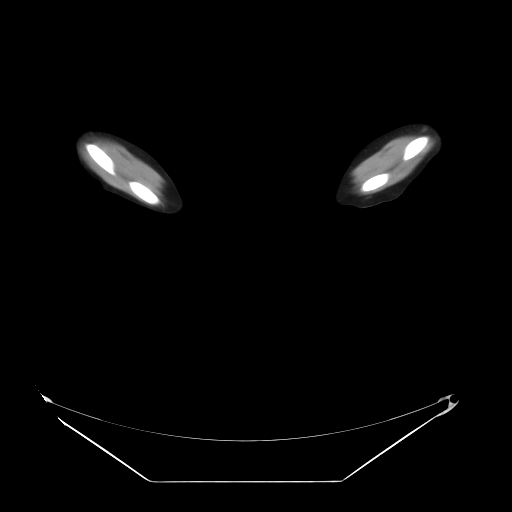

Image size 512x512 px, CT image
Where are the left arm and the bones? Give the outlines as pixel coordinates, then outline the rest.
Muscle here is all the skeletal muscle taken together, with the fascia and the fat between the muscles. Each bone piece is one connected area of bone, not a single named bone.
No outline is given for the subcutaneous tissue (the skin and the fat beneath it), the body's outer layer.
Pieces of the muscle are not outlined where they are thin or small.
The left arm is outlined by [[415,121],[428,122],[436,126],[443,136],[444,143],[441,151],[431,160],[425,169],[409,185],[405,191],[399,197],[392,201],[366,208],[354,208],[345,205],[338,205],[334,203],[332,200],[333,191],[339,177],[353,156],[367,143],[381,134],[402,124]]. The bones appear in 4 outlined pieces: piece 1: [[87,142],[90,142],[91,143],[94,143],[96,144],[99,147],[104,150],[104,151],[112,159],[114,163],[114,171],[115,172],[115,174],[114,175],[109,173],[106,170],[101,167],[95,161],[94,161],[94,160],[89,155],[84,146],[85,143]]; piece 2: [[129,181],[138,181],[142,184],[143,184],[147,187],[148,187],[159,198],[159,203],[156,205],[153,205],[152,204],[149,204],[148,203],[143,201],[141,199],[138,198],[132,192],[132,191],[130,189],[130,188],[128,185],[128,182]]; piece 3: [[421,135],[428,135],[430,137],[430,139],[429,140],[428,143],[426,145],[426,146],[421,151],[420,151],[413,157],[412,157],[407,160],[404,160],[403,159],[403,152],[404,151],[404,148],[405,147],[405,146],[410,141],[411,141],[413,139],[414,139]]; piece 4: [[384,172],[388,172],[390,174],[390,176],[388,180],[383,185],[378,187],[374,190],[371,190],[367,192],[362,192],[360,190],[361,185],[364,181],[365,181],[368,178],[374,175],[376,175],[380,173],[383,173]]. The right arm is outlined by [[87,127],[101,127],[111,130],[129,139],[150,153],[164,168],[177,186],[185,204],[185,207],[183,211],[177,215],[165,215],[164,214],[152,212],[113,193],[104,190],[95,179],[86,173],[78,165],[74,158],[74,154],[72,150],[72,139],[76,132]]. The muscle appears in 2 outlined pieces: piece 1: [[87,137],[101,137],[114,140],[124,146],[135,156],[150,165],[159,173],[166,182],[166,203],[164,205],[157,205],[160,203],[160,198],[148,186],[138,180],[129,180],[127,182],[129,189],[136,197],[107,183],[85,163],[78,151],[78,144],[82,139]]; inner edge: [[87,142],[90,142],[91,143],[94,143],[96,144],[99,147],[104,150],[104,151],[112,159],[114,163],[114,171],[115,172],[115,174],[114,175],[109,173],[106,170],[101,167],[95,161],[94,161],[94,160],[89,155],[84,146],[85,143]]; piece 2: [[423,132],[430,132],[431,133],[433,133],[437,138],[437,141],[436,142],[436,144],[433,147],[433,148],[423,158],[423,159],[417,165],[417,166],[411,173],[410,173],[402,180],[378,192],[376,192],[369,195],[356,195],[352,193],[352,191],[351,190],[352,184],[350,181],[351,180],[350,173],[358,164],[376,152],[382,146],[393,138],[395,138],[398,136],[404,135],[405,134],[417,134],[418,133],[422,133]], around holes outlined by [[421,135],[428,135],[430,137],[430,139],[429,140],[428,143],[426,145],[426,146],[421,151],[420,151],[413,157],[412,157],[407,160],[404,160],[403,159],[403,152],[404,151],[404,148],[405,147],[405,146],[410,141],[411,141],[413,139],[414,139]] and by [[384,172],[388,172],[390,174],[390,176],[388,180],[383,185],[378,187],[374,190],[371,190],[367,192],[362,192],[360,190],[361,185],[364,181],[365,181],[368,178],[374,175],[376,175],[380,173],[383,173]].